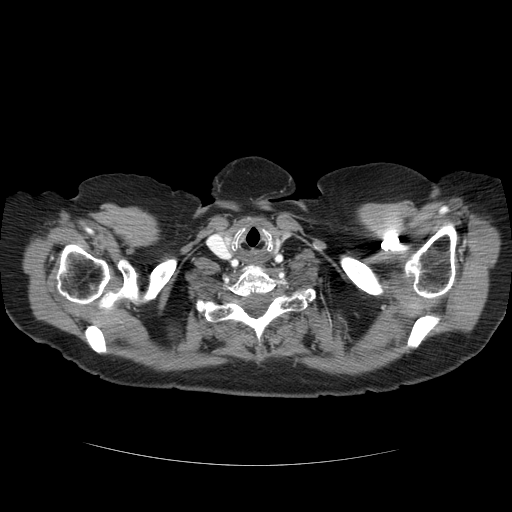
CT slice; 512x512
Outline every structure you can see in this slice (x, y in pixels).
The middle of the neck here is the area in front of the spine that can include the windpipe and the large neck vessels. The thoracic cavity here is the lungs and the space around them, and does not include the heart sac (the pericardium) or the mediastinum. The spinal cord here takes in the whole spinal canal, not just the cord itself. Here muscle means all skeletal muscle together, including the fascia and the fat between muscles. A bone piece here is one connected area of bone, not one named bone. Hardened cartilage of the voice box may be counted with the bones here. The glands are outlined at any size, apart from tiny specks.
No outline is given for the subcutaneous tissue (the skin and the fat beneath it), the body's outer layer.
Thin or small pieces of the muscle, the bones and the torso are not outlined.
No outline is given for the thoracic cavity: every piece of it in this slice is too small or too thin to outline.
Outlines (x, y in pixels):
bones 1: (68, 244) (77, 244) (107, 263) (110, 278) (105, 291) (116, 292) (123, 284) (117, 267) (121, 258) (133, 266) (141, 296) (155, 266) (171, 257) (178, 262) (155, 298) (138, 304) (122, 299) (113, 309) (105, 310) (98, 308) (95, 301) (80, 304) (58, 292) (54, 269)
bones 2: (250, 264) (264, 268) (272, 278) (283, 278) (286, 284) (279, 288) (287, 293) (308, 287) (316, 291) (303, 310) (285, 312) (269, 324) (258, 350) (250, 327) (231, 319) (207, 321) (195, 307) (199, 298) (221, 302) (231, 297) (233, 294) (225, 287) (234, 283) (242, 268), around a hole outlined by (252, 294) (256, 294) (257, 295) (265, 295) (267, 296) (267, 297) (269, 299) (269, 303) (267, 306) (267, 308) (266, 310) (263, 314) (262, 314) (258, 317) (253, 317) (249, 315) (248, 313) (245, 311) (243, 307) (243, 304) (246, 298) (249, 297)
bones 3: (449, 222) (453, 224) (458, 236) (456, 244) (456, 262) (455, 263) (456, 274) (454, 282) (450, 289) (444, 294) (433, 298) (426, 298) (418, 295) (414, 291) (412, 286) (413, 277) (412, 276) (407, 277) (405, 275) (404, 265) (406, 260) (433, 235) (441, 226) (445, 225)
bones 4: (342, 254) (344, 254) (348, 256) (351, 256) (361, 261) (364, 264) (368, 266) (372, 270) (372, 271) (377, 277) (381, 285) (381, 287) (383, 290) (383, 292) (379, 295) (372, 295) (371, 294) (367, 293) (365, 291) (357, 287) (348, 277) (339, 263) (339, 257) (340, 255)
bones 5: (424, 315) (434, 315) (438, 317) (439, 318) (439, 320) (437, 324) (436, 324) (434, 326) (434, 327) (428, 332) (428, 333) (422, 340) (420, 344) (416, 348) (408, 348) (406, 346) (406, 345) (407, 344) (407, 339) (410, 333) (411, 328) (414, 322) (419, 317) (423, 316)
bones 6: (90, 325) (95, 325) (97, 326) (102, 331) (104, 335) (104, 338) (105, 339) (105, 341) (106, 342) (106, 348) (107, 349) (107, 352) (106, 353) (102, 353) (101, 354) (97, 353) (95, 351) (94, 351) (88, 344) (86, 340) (86, 338) (85, 337) (85, 330) (86, 328)
bones 7: (244, 226) (245, 226) (245, 228) (246, 229) (241, 234) (241, 235) (237, 239) (237, 246) (238, 247) (238, 248) (236, 250) (233, 251) (231, 249) (231, 244) (232, 243) (232, 240) (233, 239) (233, 236) (235, 234) (236, 231) (239, 228) (240, 228) (241, 227) (243, 227)
bones 8: (263, 228) (264, 228) (265, 229) (266, 229) (271, 233) (271, 237) (272, 238) (272, 241) (273, 242) (273, 248) (274, 249) (273, 250) (273, 251) (268, 251) (267, 250) (267, 244) (265, 241) (265, 240) (266, 239) (266, 236) (265, 235) (265, 234) (262, 231) (262, 229)
thyroid glands 1: (226, 234) (231, 234) (231, 235) (232, 236) (232, 239) (231, 240) (231, 243) (230, 244) (230, 247) (229, 248) (228, 248) (227, 247) (227, 246) (225, 244) (225, 242) (224, 241) (224, 235) (225, 235)
thyroid glands 2: (275, 236) (277, 236) (279, 238) (279, 239) (281, 241) (281, 243) (280, 244) (280, 246) (279, 247) (279, 248) (276, 251) (275, 250) (274, 250) (275, 249) (274, 248) (274, 247) (275, 246)
spinal cord: (252, 294) (256, 294) (257, 295) (265, 295) (267, 296) (267, 297) (269, 299) (269, 303) (267, 306) (267, 308) (266, 310) (263, 314) (262, 314) (258, 317) (253, 317) (249, 315) (248, 313) (245, 311) (243, 307) (243, 304) (246, 298) (249, 297)
left arm: (451, 169) (464, 169) (497, 177) (500, 181) (505, 198) (511, 238) (510, 282) (505, 313) (496, 324) (488, 327) (463, 325) (455, 321) (452, 321) (434, 311) (412, 291) (402, 272) (401, 219) (402, 210) (404, 207) (407, 194) (420, 173) (430, 180) (435, 180) (442, 172)
muscle: (450, 197) (461, 197) (491, 219) (500, 234) (477, 323) (467, 334) (442, 333) (421, 344) (440, 320) (421, 315) (406, 339) (405, 346) (416, 349) (412, 353) (359, 376) (331, 376) (286, 363) (155, 373) (101, 357) (108, 349) (97, 325) (84, 330) (88, 346) (37, 320) (30, 308) (22, 259) (31, 238) (60, 219) (73, 221) (97, 211) (105, 202) (143, 207) (177, 238) (188, 236) (215, 213) (282, 210) (314, 219) (315, 235) (326, 237) (361, 203), around holes outlined by (244, 226) (293, 236) (288, 258) (265, 272) (283, 278) (286, 284) (279, 288) (287, 293) (316, 291) (303, 310) (285, 312) (269, 324) (258, 350) (250, 327) (231, 319) (207, 321) (195, 307) (199, 298) (221, 302) (231, 297) (225, 287) (242, 273) (218, 259) (204, 240) and by (68, 244) (77, 244) (107, 263) (110, 278) (105, 291) (116, 292) (123, 284) (117, 267) (121, 258) (133, 266) (141, 296) (155, 266) (171, 257) (178, 262) (155, 298) (138, 304) (122, 299) (113, 309) (105, 310) (98, 308) (95, 301) (80, 304) (58, 292) (54, 269) and by (449, 222) (453, 224) (458, 236) (456, 244) (456, 262) (455, 263) (456, 274) (454, 282) (450, 289) (444, 294) (433, 298) (426, 298) (418, 295) (414, 291) (412, 286) (413, 277) (412, 276) (407, 277) (405, 275) (404, 265) (406, 260) (433, 235) (441, 226) (445, 225) and by (342, 254) (344, 254) (348, 256) (351, 256) (361, 261) (364, 264) (368, 266) (372, 270) (372, 271) (377, 277) (381, 285) (381, 287) (383, 290) (383, 292) (379, 295) (372, 295) (371, 294) (367, 293) (365, 291) (357, 287) (348, 277) (339, 263) (339, 257) (340, 255)
torso: (249, 155) (291, 176) (292, 199) (316, 196) (317, 179) (344, 166) (387, 161) (420, 172) (401, 210) (402, 275) (452, 322) (488, 328) (502, 319) (485, 346) (427, 381) (316, 398) (123, 386) (65, 359) (104, 284) (99, 230) (79, 183) (148, 175) (206, 205) (214, 176)
right arm: (77, 188) (80, 191) (98, 230) (103, 263) (103, 284) (99, 304) (92, 319) (63, 357) (56, 349) (38, 343) (24, 334) (8, 317) (0, 273) (0, 238) (4, 209) (10, 194) (21, 189) (27, 189) (34, 194) (46, 190) (54, 190) (67, 198) (71, 198) (77, 193)
middle of the neck: (246, 226) (263, 227) (261, 231) (265, 236) (268, 252) (275, 253) (280, 248) (280, 236) (293, 236) (295, 246) (291, 254) (276, 268) (253, 263) (230, 267) (210, 251) (204, 240) (212, 233) (219, 233) (223, 236) (226, 247) (234, 252) (239, 248) (238, 239) (247, 229)